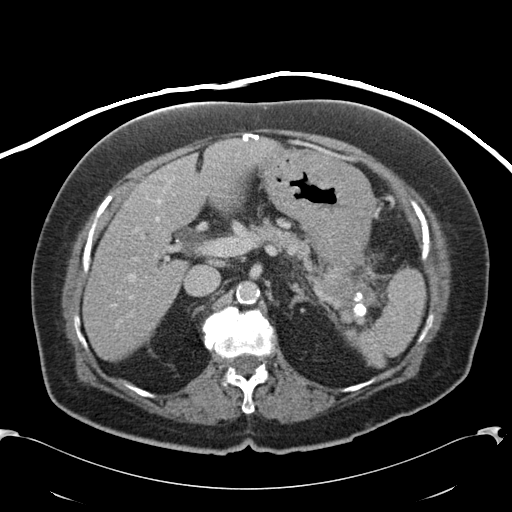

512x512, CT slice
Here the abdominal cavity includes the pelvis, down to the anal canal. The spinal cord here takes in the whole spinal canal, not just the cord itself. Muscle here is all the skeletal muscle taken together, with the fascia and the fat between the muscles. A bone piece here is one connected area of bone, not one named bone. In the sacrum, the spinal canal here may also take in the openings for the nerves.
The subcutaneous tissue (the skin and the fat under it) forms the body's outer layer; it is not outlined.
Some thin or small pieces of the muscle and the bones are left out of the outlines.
Outlined structures:
bones 1: (228, 305) (236, 306) (242, 311) (259, 308) (274, 328) (274, 349) (266, 358) (269, 377) (254, 387) (252, 401) (255, 409) (249, 414) (244, 413) (241, 408) (243, 391) (236, 385) (224, 386) (221, 383) (228, 362) (213, 349) (208, 349) (204, 343) (202, 325) (205, 318); inner edge: (243, 354) (247, 354) (248, 355) (253, 355) (254, 356) (256, 356) (258, 357) (260, 360) (260, 363) (254, 369) (254, 372) (252, 374) (247, 376) (245, 376) (242, 374) (238, 373) (236, 369) (233, 366) (232, 366) (231, 364) (231, 362) (234, 358) (238, 356) (240, 356)
bones 2: (108, 194) (112, 194) (113, 195) (113, 198) (98, 220) (98, 225) (95, 229) (94, 235) (93, 236) (93, 240) (92, 241) (92, 248) (90, 254) (89, 269) (87, 273) (85, 274) (83, 271) (82, 255) (83, 254) (84, 246) (87, 239) (88, 232) (94, 219) (98, 206)
bones 3: (409, 199) (413, 199) (417, 203) (423, 212) (428, 224) (428, 228) (429, 229) (429, 238) (430, 239) (430, 248) (429, 249) (429, 252) (427, 258) (424, 263) (421, 260) (421, 245) (422, 244) (422, 241) (421, 240) (420, 224) (414, 213) (414, 211) (411, 205) (409, 203)
bones 4: (75, 313) (77, 313) (79, 315) (79, 318) (81, 323) (81, 329) (82, 330) (83, 335) (85, 338) (85, 340) (87, 343) (87, 345) (89, 348) (89, 351) (87, 351) (83, 347) (76, 334) (76, 331) (75, 330) (75, 328) (74, 327) (74, 323) (73, 322) (73, 316)
bones 5: (430, 312) (432, 312) (434, 314) (434, 318) (433, 319) (433, 321) (432, 322) (432, 325) (427, 331) (427, 332) (426, 333) (424, 338) (418, 344) (417, 344) (416, 343) (416, 341) (417, 340) (417, 339) (421, 332) (421, 330) (425, 323) (426, 318) (427, 317) (428, 314)
bones 6: (125, 382) (127, 382) (128, 383) (133, 384) (135, 386) (137, 386) (139, 388) (141, 388) (151, 393) (153, 393) (156, 395) (156, 397) (155, 398) (150, 398) (149, 397) (142, 396) (138, 394) (133, 390) (128, 388) (124, 384)
bones 7: (374, 377) (375, 379) (373, 382) (359, 389) (357, 389) (354, 391) (349, 391) (348, 392) (341, 392) (340, 391) (340, 389) (341, 388) (344, 388) (345, 387) (347, 387) (351, 385) (354, 385) (355, 384) (357, 384) (361, 382) (364, 382)
torso: (295, 99) (347, 102) (387, 114) (429, 139) (460, 175) (482, 220) (490, 257) (487, 306) (467, 376) (433, 404) (349, 442) (285, 454) (249, 446) (225, 455) (160, 447) (103, 431) (58, 408) (41, 374) (30, 273) (45, 216) (76, 163) (110, 132) (144, 116) (200, 104)
abdominal cavity: (264, 134) (307, 139) (350, 155) (391, 188) (427, 277) (427, 315) (415, 343) (375, 376) (330, 387) (288, 362) (259, 307) (228, 304) (204, 318) (210, 358) (178, 390) (154, 393) (109, 375) (90, 351) (80, 318) (101, 231) (133, 186) (158, 166) (218, 140) (246, 142)
muscle 1: (254, 128) (319, 134) (342, 140) (372, 155) (414, 188) (431, 207) (451, 250) (451, 291) (447, 311) (436, 336) (427, 345) (416, 375) (349, 405) (292, 423) (274, 423) (257, 415) (246, 415) (256, 409) (253, 401) (255, 387) (270, 377) (267, 358) (275, 349) (276, 335) (284, 358) (298, 373) (318, 384) (348, 393) (370, 385) (377, 375) (401, 362) (433, 325) (435, 314) (432, 311) (428, 313) (430, 291) (424, 267) (431, 248) (430, 229) (424, 212) (413, 198) (409, 198) (408, 203) (419, 224) (420, 249) (408, 215) (392, 188) (357, 158) (307, 138) (245, 131) (240, 136) (218, 139) (174, 157) (143, 175) (122, 198) (93, 244) (99, 220) (114, 198) (112, 193) (108, 193) (101, 200) (124, 174) (156, 155) (196, 139)
muscle 2: (99, 203) (81, 255) (86, 276) (79, 314) (72, 316) (82, 347) (106, 374) (150, 399) (183, 388) (208, 365) (213, 350) (227, 362) (220, 383) (242, 391) (245, 414) (217, 425) (178, 422) (78, 380) (74, 349) (64, 331) (61, 289) (72, 244)
spinal cord: (243, 354) (247, 354) (248, 355) (253, 355) (254, 356) (256, 356) (258, 357) (260, 360) (260, 363) (254, 369) (254, 372) (252, 374) (247, 376) (245, 376) (242, 374) (238, 373) (236, 369) (233, 366) (232, 366) (231, 364) (231, 362) (234, 358) (238, 356) (240, 356)